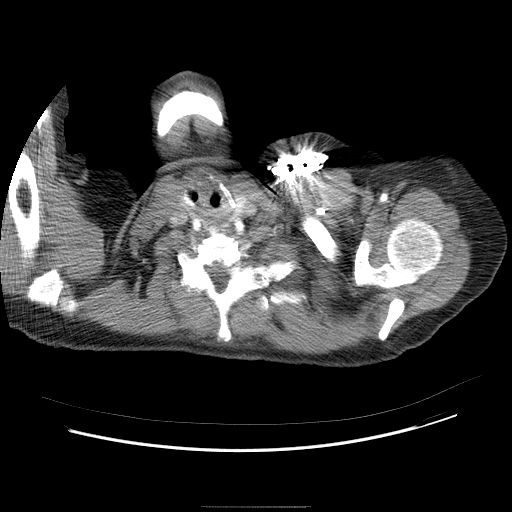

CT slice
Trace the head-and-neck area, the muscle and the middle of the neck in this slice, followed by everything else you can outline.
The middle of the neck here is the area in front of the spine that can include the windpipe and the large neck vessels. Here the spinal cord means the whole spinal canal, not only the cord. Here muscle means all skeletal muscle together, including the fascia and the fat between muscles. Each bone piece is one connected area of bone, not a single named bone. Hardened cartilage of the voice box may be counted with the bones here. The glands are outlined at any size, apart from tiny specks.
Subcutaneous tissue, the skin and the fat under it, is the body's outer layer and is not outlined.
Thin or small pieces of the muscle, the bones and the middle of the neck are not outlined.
Outlines:
head and neck: (186, 69) (195, 70) (209, 74) (221, 86) (224, 93) (227, 110) (236, 135) (235, 153) (229, 150) (220, 150) (179, 164) (160, 164) (154, 152) (148, 146) (147, 143) (148, 131) (150, 125) (150, 116) (148, 109) (149, 95) (152, 88) (157, 82) (178, 71)
muscle 1: (47, 107) (58, 164) (85, 201) (87, 216) (102, 228) (110, 255) (168, 173) (244, 171) (276, 193) (292, 176) (342, 172) (375, 191) (395, 181) (422, 181) (455, 205) (472, 242) (463, 288) (389, 335) (405, 309) (395, 296) (379, 340) (323, 354) (276, 350) (261, 339) (229, 347) (66, 321) (48, 307) (72, 314) (85, 301) (62, 295) (57, 268) (31, 277) (29, 301) (8, 295) (0, 273) (7, 197) (19, 250) (40, 244) (40, 190) (23, 147); inner edges: (210, 175) (259, 208) (261, 215) (235, 237) (251, 243) (249, 262) (297, 263) (284, 278) (230, 307) (226, 342) (217, 340) (213, 301) (204, 291) (179, 285) (178, 252) (193, 256) (192, 238) (197, 244) (209, 232) (182, 228) (170, 218) (172, 209) (186, 205) (184, 195), then (410, 218) (425, 221) (438, 232) (443, 248) (435, 267) (422, 274) (413, 283) (391, 288) (384, 288) (378, 285) (356, 285) (353, 274) (354, 260) (361, 240) (364, 238) (370, 242) (371, 249) (368, 261) (373, 267) (379, 267) (388, 261) (386, 246) (390, 232) (398, 223), then (306, 214) (308, 214) (311, 216) (314, 216) (317, 218) (328, 230) (330, 235) (334, 240) (337, 246) (337, 249) (339, 251) (339, 254) (336, 256) (335, 261) (333, 262) (332, 261) (329, 261) (320, 252) (316, 247) (315, 244) (303, 229) (301, 225) (301, 221), then (280, 290) (286, 290) (293, 292) (297, 291) (298, 292) (303, 292) (307, 296) (306, 299) (304, 299) (297, 304) (293, 304) (287, 302) (281, 304) (270, 303) (268, 309) (266, 310) (262, 310) (256, 305) (255, 300) (259, 295) (264, 294) (268, 296) (272, 292)
muscle 2: (193, 114) (200, 115) (204, 117) (218, 127) (223, 126) (225, 127) (226, 140) (222, 143) (223, 144) (222, 146) (220, 148) (210, 150) (175, 152) (164, 155) (160, 151) (157, 143) (156, 135) (160, 139) (164, 137) (170, 131) (172, 126) (178, 119) (184, 116)
muscle 3: (184, 76) (195, 77) (202, 81) (206, 82) (210, 86) (214, 88) (217, 91) (220, 97) (222, 111) (218, 102) (210, 95) (197, 90) (182, 89) (174, 93) (163, 102) (158, 111) (156, 121) (155, 112) (154, 111) (154, 101) (165, 87) (171, 85) (175, 80) (177, 80)
middle of the neck: (206, 179) (218, 184) (227, 197) (228, 203) (236, 208) (238, 215) (248, 201) (259, 208) (261, 215) (247, 225) (238, 236) (227, 234) (215, 225) (211, 225) (208, 231) (175, 225) (170, 218) (172, 209) (180, 205) (187, 205) (195, 209) (197, 205) (189, 194) (196, 184)
spinal cord: (215, 262) (217, 263) (219, 263) (224, 268) (225, 268) (225, 271) (229, 276) (229, 278) (227, 281) (226, 286) (223, 289) (223, 290) (220, 292) (219, 292) (216, 289) (216, 286) (215, 284) (210, 277) (210, 275) (209, 273) (205, 268) (206, 266) (213, 266)
left arm: (431, 150) (444, 150) (451, 152) (465, 162) (498, 206) (505, 221) (508, 235) (507, 248) (503, 260) (491, 284) (483, 293) (467, 304) (452, 318) (437, 310) (416, 291) (402, 275) (391, 268) (374, 250) (369, 235) (374, 179) (382, 160) (385, 157) (390, 159) (405, 159)
bones 1: (211, 226) (235, 236) (241, 244) (249, 241) (248, 260) (254, 266) (276, 260) (297, 263) (284, 278) (248, 292) (230, 307) (231, 338) (226, 342) (217, 340) (220, 322) (213, 301) (204, 291) (187, 291) (179, 285) (178, 252) (193, 256) (192, 238) (199, 243) (209, 235); inner edge: (215, 262) (217, 263) (219, 263) (224, 268) (225, 268) (225, 271) (229, 276) (229, 278) (227, 281) (226, 286) (223, 289) (223, 290) (220, 292) (219, 292) (216, 289) (216, 286) (215, 284) (210, 277) (210, 275) (209, 273) (205, 268) (206, 266) (213, 266)
bones 2: (410, 218) (425, 221) (438, 232) (443, 248) (435, 267) (422, 274) (413, 283) (391, 288) (384, 288) (378, 285) (356, 285) (353, 274) (354, 260) (361, 240) (364, 238) (370, 242) (371, 249) (368, 261) (373, 267) (379, 267) (388, 261) (386, 246) (390, 232) (398, 223)
bones 3: (23, 150) (25, 151) (30, 158) (35, 170) (36, 182) (39, 190) (38, 194) (40, 198) (39, 210) (40, 211) (40, 228) (41, 229) (39, 244) (37, 248) (24, 252) (21, 251) (19, 248) (15, 226) (10, 213) (9, 198) (8, 197) (8, 190) (12, 175)
bones 4: (182, 90) (201, 92) (213, 98) (217, 102) (219, 108) (223, 114) (223, 125) (222, 126) (218, 126) (204, 116) (200, 114) (193, 113) (184, 115) (178, 118) (171, 126) (169, 131) (164, 136) (160, 138) (158, 137) (156, 133) (156, 122) (160, 109) (164, 102) (174, 94)
bones 5: (53, 268) (57, 269) (64, 284) (64, 287) (61, 291) (61, 295) (69, 296) (79, 301) (81, 300) (84, 301) (84, 303) (72, 313) (62, 310) (58, 304) (54, 307) (45, 306) (30, 301) (26, 297) (28, 286) (31, 282) (32, 277) (34, 275) (40, 274) (44, 271)
bones 6: (306, 214) (308, 214) (311, 216) (314, 216) (317, 218) (328, 230) (330, 235) (334, 240) (337, 246) (337, 249) (339, 251) (339, 254) (336, 256) (335, 261) (333, 262) (332, 261) (329, 261) (320, 252) (316, 247) (315, 244) (303, 229) (301, 225) (301, 221)
bones 7: (280, 290) (286, 290) (293, 292) (297, 291) (298, 292) (303, 292) (307, 296) (306, 299) (304, 299) (297, 304) (293, 304) (287, 302) (281, 304) (270, 303) (268, 309) (266, 310) (262, 310) (256, 305) (255, 300) (259, 295) (264, 294) (268, 296) (272, 292)
bones 8: (395, 297) (397, 297) (398, 298) (401, 299) (404, 302) (404, 309) (403, 310) (402, 313) (399, 316) (399, 317) (393, 323) (387, 337) (383, 340) (380, 340) (378, 338) (378, 331) (387, 315) (387, 311) (388, 310) (388, 305) (389, 304) (389, 302) (393, 298) (394, 298)
bones 9: (210, 175) (212, 175) (216, 180) (219, 180) (227, 188) (230, 192) (230, 194) (232, 196) (233, 199) (234, 199) (235, 197) (237, 203) (237, 207) (233, 207) (229, 203) (228, 197) (226, 196) (225, 193) (219, 187) (218, 185) (219, 184) (215, 180) (212, 180) (209, 178)
bones 10: (185, 194) (187, 194) (190, 197) (190, 198) (195, 203) (195, 204) (196, 205) (196, 207) (195, 208) (192, 208) (189, 205) (188, 205) (187, 204) (186, 204) (185, 203) (185, 201) (184, 200) (184, 198) (183, 197) (184, 196) (184, 195)
torso: (312, 130) (385, 156) (373, 179) (369, 240) (391, 269) (451, 319) (429, 340) (394, 359) (349, 368) (181, 351) (92, 351) (44, 345) (101, 272) (109, 241) (108, 194) (119, 169) (140, 195) (160, 165) (229, 151) (261, 178) (268, 166) (257, 162) (257, 157) (268, 143)
right arm: (64, 86) (66, 86) (69, 100) (69, 112) (64, 120) (66, 149) (70, 153) (83, 153) (88, 168) (110, 166) (117, 168) (118, 171) (107, 194) (108, 241) (100, 272) (43, 345) (20, 331) (12, 329) (9, 325) (0, 273) (0, 238) (9, 185) (23, 147) (51, 100)
thyroid glands: (236, 193) (241, 193) (242, 194) (244, 194) (247, 197) (247, 199) (248, 200) (245, 202) (245, 203) (244, 204) (244, 206) (239, 214) (238, 214) (237, 213) (237, 208) (238, 207) (238, 203) (237, 202) (237, 200) (236, 199) (236, 197) (235, 196) (235, 194)